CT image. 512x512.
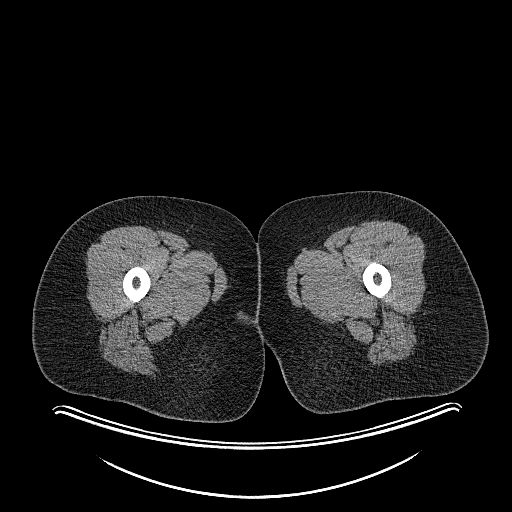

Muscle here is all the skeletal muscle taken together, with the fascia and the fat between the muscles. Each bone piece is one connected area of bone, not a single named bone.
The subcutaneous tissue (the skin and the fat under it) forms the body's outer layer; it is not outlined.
{"left_leg":[[[356,190],[381,190],[405,196],[424,205],[444,223],[461,249],[478,286],[489,342],[485,359],[477,374],[452,393],[387,400],[339,413],[314,413],[294,398],[276,357],[264,343],[258,321],[261,279],[260,253],[256,240],[264,220],[281,205],[305,196]]],"bones":[[[372,261],[380,263],[384,266],[385,266],[388,269],[390,273],[390,275],[391,276],[391,287],[389,289],[388,292],[383,297],[381,298],[379,298],[371,294],[365,287],[363,283],[363,281],[362,280],[362,274],[363,273],[364,269],[366,267],[366,266]],[[135,266],[141,266],[143,267],[146,270],[150,278],[150,287],[147,293],[140,300],[139,300],[137,302],[132,302],[127,297],[127,296],[124,293],[123,291],[123,288],[122,287],[122,280],[123,279],[123,277],[125,273],[130,268],[132,267],[134,267]]],"muscle":[{"outer":[[126,225],[144,225],[181,234],[207,252],[212,252],[227,277],[228,286],[217,303],[211,308],[206,307],[191,325],[182,331],[177,339],[168,343],[159,354],[161,379],[120,371],[104,361],[98,351],[99,324],[86,297],[86,251],[106,230]],"hole":[[135,266],[141,266],[143,267],[146,270],[150,278],[150,287],[147,293],[140,300],[139,300],[137,302],[132,302],[127,297],[127,296],[124,293],[123,291],[123,288],[122,287],[122,280],[123,279],[123,277],[125,273],[130,268],[132,267],[134,267]]},{"outer":[[373,219],[399,222],[416,232],[425,244],[426,256],[422,271],[426,288],[420,309],[415,314],[416,349],[409,357],[390,367],[366,363],[353,347],[328,326],[320,325],[307,311],[302,312],[293,306],[286,293],[286,272],[301,248],[314,245],[347,225]],"hole":[[372,261],[380,263],[384,266],[385,266],[388,269],[390,273],[390,275],[391,276],[391,287],[389,289],[388,292],[383,297],[381,298],[379,298],[371,294],[365,287],[363,283],[363,281],[362,280],[362,274],[363,273],[364,269],[366,267],[366,266]]}],"right_leg":[[[137,195],[176,196],[219,206],[235,215],[257,242],[260,279],[257,321],[264,344],[265,367],[253,404],[236,420],[215,423],[174,419],[123,402],[70,393],[48,381],[38,366],[31,338],[33,303],[40,276],[56,243],[64,231],[90,209],[114,199]]]}